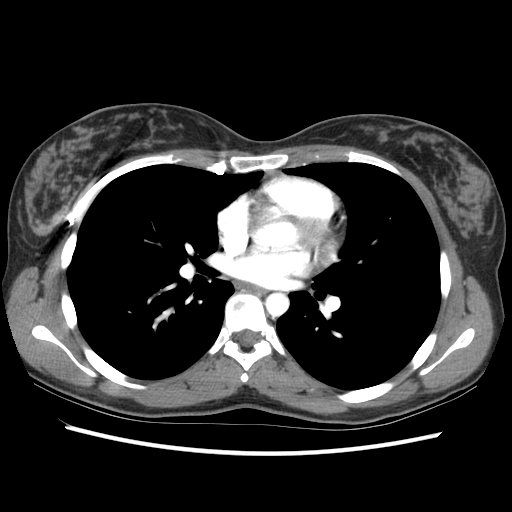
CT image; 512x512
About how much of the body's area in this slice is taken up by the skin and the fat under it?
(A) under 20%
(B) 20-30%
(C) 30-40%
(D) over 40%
Answer: (B) 20-30%
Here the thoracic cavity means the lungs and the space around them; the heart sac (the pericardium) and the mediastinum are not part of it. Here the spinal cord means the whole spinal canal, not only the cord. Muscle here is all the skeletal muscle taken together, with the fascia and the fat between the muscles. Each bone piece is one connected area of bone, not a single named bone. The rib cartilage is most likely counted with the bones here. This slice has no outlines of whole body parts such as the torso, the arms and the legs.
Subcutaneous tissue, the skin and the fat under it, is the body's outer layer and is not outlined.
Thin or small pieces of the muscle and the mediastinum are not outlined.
The mediastinum is outlined by 222,274 232,277 239,282 267,290 291,290 302,286 306,282 313,279 310,286 311,289 300,289 291,291 289,293 289,308 278,318 275,327 268,321 262,301 252,293 241,291 234,292 233,284 229,280 224,279. The muscle is outlined by 308,144 372,151 407,168 432,193 456,243 463,270 481,285 493,312 491,344 468,377 437,392 361,412 315,413 286,405 245,384 220,399 179,407 149,407 56,379 20,355 6,313 6,295 25,267 39,264 53,251 70,206 91,179 141,154 185,147 237,149 254,154 212,162 172,151 149,154 112,168 90,185 70,214 70,227 82,219 78,229 65,238 59,265 66,271 68,289 60,293 61,311 68,328 78,329 85,340 80,347 91,367 82,364 45,325 35,324 32,336 58,346 87,375 96,378 98,373 134,390 147,386 128,376 138,380 167,378 204,355 220,351 242,367 239,379 244,384 251,366 274,351 291,362 293,359 318,381 341,390 335,397 344,403 362,403 386,394 396,385 389,379 408,363 416,371 435,346 438,333 433,327 452,284 448,253 439,247 422,200 394,165 354,149 310,151 301,158 286,152 264,153 with a hole at 467,328 473,328 474,329 474,336 471,342 468,345 465,347 461,347 460,348 453,350 430,371 424,374 422,376 419,376 418,375 418,373 421,369 430,365 436,361 444,353 444,352 459,336 459,335. The pericardium is outlined by 270,172 278,172 291,176 309,178 323,184 340,198 346,216 343,241 333,261 320,273 302,285 291,289 267,289 256,286 223,274 218,268 218,257 216,255 218,250 218,213 240,195 257,186 262,178. The thoracic cavity appears in 2 outlined pieces: piece 1: 159,164 184,164 216,174 260,170 262,176 257,185 216,216 217,268 221,277 232,284 233,293 225,302 214,341 205,354 184,370 159,379 138,379 108,363 84,338 68,288 67,269 82,220 101,190 126,173; piece 2: 334,161 376,166 405,180 427,211 439,248 440,305 432,329 393,376 344,391 308,373 289,353 276,330 279,318 290,308 290,293 312,289 314,278 336,258 347,231 345,204 337,193 319,181 286,174 283,169. The spinal cord is outlined by 245,329 247,329 248,330 250,330 251,331 254,332 257,335 257,340 252,345 252,347 251,348 248,348 247,349 246,348 243,348 242,347 241,347 239,345 239,344 237,342 237,341 236,340 236,334. The bones appear in 9 outlined pieces: piece 1: 336,150 378,157 403,177 376,165 343,160 308,163 301,159 289,167 245,173 216,173 194,161 180,160 116,177 100,190 83,217 69,224 90,186 112,169 145,156 172,152 212,163 270,153 301,159 310,152; piece 2: 238,292 252,294 261,301 267,321 275,328 280,341 292,358 291,361 274,350 271,355 256,360 250,366 246,372 248,379 244,383 240,379 244,369 234,358 220,350 212,355 206,353 223,324 226,302 234,293 with a hole at 245,329 247,329 248,330 250,330 251,331 254,332 257,335 257,340 252,345 252,347 251,348 248,348 247,349 246,348 243,348 242,347 241,347 239,345 239,344 237,342 237,341 236,340 236,334; piece 3: 38,324 50,330 82,365 89,368 92,367 81,347 82,343 85,341 108,364 125,374 129,380 143,384 146,388 134,389 120,385 98,372 96,373 96,377 87,374 79,368 58,345 33,336 31,332 32,328; piece 4: 387,380 395,385 386,393 378,397 376,397 366,401 363,401 362,402 352,402 351,403 344,402 342,400 336,397 336,394 338,392 344,392 349,390 357,390 358,389 363,389 364,388 367,388 368,387 379,384; piece 5: 467,328 473,328 474,329 474,336 471,342 468,345 465,347 461,347 460,348 453,350 430,371 424,374 422,376 419,376 418,375 418,373 421,369 430,365 436,361 444,353 444,352 459,336 459,335; piece 6: 441,249 444,249 447,253 447,256 448,257 448,259 449,260 449,263 450,264 450,271 451,272 451,284 450,285 450,288 449,289 449,291 448,292 448,294 447,295 446,299 441,303 441,292 440,291 440,250; piece 7: 432,330 435,330 437,333 437,337 436,338 434,346 431,352 429,354 427,358 424,361 424,362 416,370 414,371 410,367 409,362 411,360 411,359 413,357 417,350 423,343 427,336; piece 8: 63,290 68,290 69,292 69,295 71,298 71,300 72,301 72,303 75,310 75,314 77,318 77,327 78,328 75,330 72,330 69,328 66,323 66,321 65,320 65,318 62,311 62,308 61,307 61,293; piece 9: 72,231 74,231 75,232 77,231 77,236 76,237 76,241 75,242 75,247 74,248 73,254 71,257 71,261 69,265 67,267 66,270 62,270 60,265 61,264 61,251 64,245 64,243 66,240 66,238.